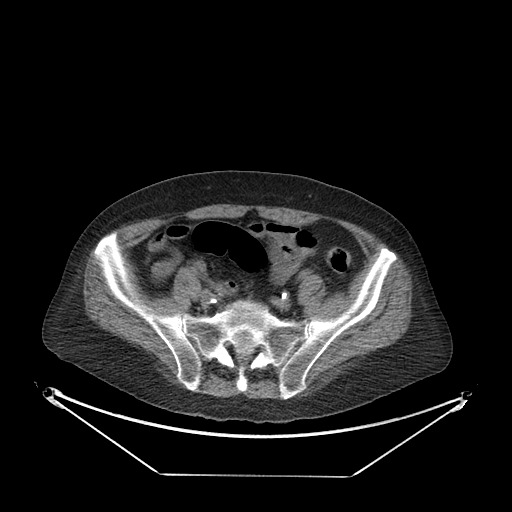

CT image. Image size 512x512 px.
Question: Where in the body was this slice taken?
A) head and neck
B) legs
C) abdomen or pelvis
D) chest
Answer: C) abdomen or pelvis
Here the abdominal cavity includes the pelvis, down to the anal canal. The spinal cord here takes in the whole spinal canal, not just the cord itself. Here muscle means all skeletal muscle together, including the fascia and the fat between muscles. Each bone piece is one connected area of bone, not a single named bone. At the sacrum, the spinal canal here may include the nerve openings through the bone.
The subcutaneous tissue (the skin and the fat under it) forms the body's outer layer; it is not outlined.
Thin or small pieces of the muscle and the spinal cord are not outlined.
The bones are outlined by 112 232; 135 297; 170 316; 212 316; 243 299; 281 320; 327 320; 351 305; 381 248; 396 260; 375 307; 323 351; 304 390; 282 399; 280 368; 268 364; 247 368; 240 391; 235 368; 201 356; 191 391; 168 346; 106 283; 94 249; inner edges: 226 342; 230 342; 232 344; 232 346; 234 348; 234 351; 236 355; 240 354; 241 355; 251 355; 252 356; 252 358; 249 364; 247 366; 247 367; 244 365; 238 365; 236 363; 235 359; 234 358; 234 356; 225 346; 225 343, then 261 346; 264 346; 264 348; 263 349; 263 350; 262 351; 261 351; 259 353; 258 353; 257 354; 257 355; 255 357; 255 352; 257 350; 257 349; 258 348; 258 347; 260 347. The muscle appears in 3 outlined pieces: piece 1: 224 203; 282 206; 309 211; 348 221; 374 234; 400 256; 411 275; 412 316; 408 329; 394 343; 371 352; 313 394; 292 397; 306 389; 310 369; 330 344; 376 307; 384 280; 397 255; 389 248; 381 247; 355 298; 345 310; 327 319; 312 317; 307 320; 304 306; 298 302; 304 278; 319 276; 325 286; 325 298; 336 292; 346 292; 367 256; 352 232; 336 222; 321 218; 297 225; 284 224; 261 216; 255 209; 238 217; 177 217; 160 225; 129 248; 129 258; 136 268; 139 284; 151 297; 168 296; 180 268; 189 269; 197 278; 199 294; 191 301; 188 312; 170 315; 156 313; 136 297; 132 289; 117 233; 105 234; 122 224; piece 2: 95 245; 93 249; 93 256; 101 269; 105 283; 111 293; 116 299; 143 319; 167 346; 176 365; 175 376; 186 389; 175 384; 170 384; 155 369; 149 356; 142 349; 136 348; 125 340; 100 328; 85 314; 82 292; 83 273; 89 252; piece 3: 201 357; 209 361; 214 358; 219 364; 235 369; 237 372; 235 386; 240 392; 248 388; 248 378; 245 374; 247 369; 250 371; 265 369; 268 365; 279 368; 277 379; 281 399; 248 398; 243 394; 219 397; 195 392; 198 391; 201 382. The abdominal cavity is outlined by 250 210; 284 225; 324 219; 351 232; 366 259; 346 291; 325 297; 322 278; 307 275; 297 292; 304 319; 285 320; 243 298; 212 315; 188 313; 200 283; 187 267; 179 268; 168 295; 142 288; 129 250; 151 232; 181 217; 238 218. The spinal cord is outlined by 226 342; 230 342; 232 344; 232 346; 234 348; 234 351; 236 355; 240 354; 241 355; 251 355; 252 356; 252 358; 249 364; 247 366; 247 367; 244 365; 238 365; 236 363; 235 359; 234 358; 234 356; 225 346; 225 343. The torso is outlined by 229 169; 311 177; 353 191; 401 221; 421 252; 437 301; 450 328; 453 353; 447 367; 371 403; 331 416; 287 423; 221 422; 172 413; 146 404; 60 360; 48 350; 41 339; 43 318; 70 250; 90 221; 114 201; 152 183; 182 174.